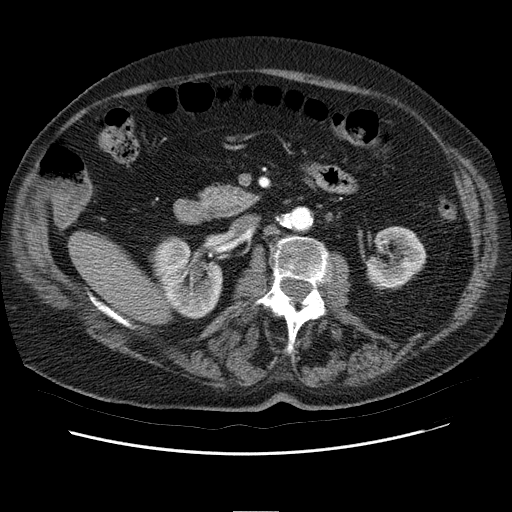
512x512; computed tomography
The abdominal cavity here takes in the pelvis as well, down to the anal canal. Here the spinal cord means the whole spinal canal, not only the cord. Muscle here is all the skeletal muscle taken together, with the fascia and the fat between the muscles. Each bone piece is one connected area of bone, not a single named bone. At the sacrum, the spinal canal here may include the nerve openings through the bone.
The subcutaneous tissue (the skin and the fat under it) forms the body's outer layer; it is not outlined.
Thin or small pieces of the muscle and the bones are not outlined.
{"bones":[{"outer":[[292,235],[308,236],[323,242],[330,253],[330,266],[324,280],[317,286],[326,313],[317,319],[306,321],[299,328],[294,351],[289,354],[285,350],[288,333],[284,317],[276,316],[261,304],[253,303],[272,285],[273,260],[270,256],[276,250],[276,242]],"hole":[[286,279],[295,279],[296,280],[299,280],[300,281],[304,281],[305,282],[309,283],[312,287],[311,290],[299,302],[299,304],[300,305],[300,307],[299,308],[297,308],[295,304],[291,301],[293,298],[291,296],[287,295],[282,289],[282,283],[284,280]]},[[88,291],[90,292],[98,300],[101,301],[114,311],[118,313],[121,316],[127,319],[133,325],[134,325],[133,326],[134,328],[133,329],[128,328],[122,324],[118,323],[113,319],[108,317],[101,311],[100,311],[89,299],[88,295],[87,294],[87,292]]],"torso":[[[234,34],[302,38],[378,60],[420,85],[483,142],[499,176],[511,231],[505,313],[487,345],[413,389],[333,410],[304,410],[282,401],[256,412],[112,403],[58,385],[24,364],[4,302],[0,238],[10,183],[30,142],[71,100],[110,71],[173,44]]],"muscle":[{"outer":[[263,67],[313,73],[324,77],[371,88],[398,97],[400,100],[405,102],[421,115],[446,143],[457,148],[464,156],[469,158],[479,173],[485,179],[491,190],[495,202],[494,208],[498,215],[498,262],[495,267],[493,278],[489,281],[489,286],[486,289],[485,294],[481,298],[483,302],[479,305],[478,310],[465,324],[460,326],[439,343],[419,355],[409,359],[385,376],[380,377],[369,385],[359,387],[311,388],[299,382],[295,383],[290,380],[273,380],[268,383],[265,383],[262,380],[248,387],[233,387],[230,389],[221,389],[203,385],[197,381],[193,381],[179,375],[166,372],[146,361],[111,350],[107,346],[91,337],[86,332],[86,328],[70,311],[66,309],[56,309],[49,304],[42,302],[42,300],[38,297],[36,290],[32,288],[29,284],[22,281],[20,274],[15,269],[13,263],[15,259],[10,250],[10,241],[12,235],[10,232],[10,226],[12,223],[17,193],[24,177],[32,169],[39,153],[52,133],[74,114],[97,100],[144,83],[166,80],[173,77],[186,77],[196,73],[205,73],[225,69]],"holes":[[[232,72],[383,98],[431,137],[476,271],[437,329],[370,331],[346,307],[350,272],[336,251],[317,286],[326,313],[299,328],[292,354],[284,317],[253,304],[271,268],[245,268],[230,305],[183,335],[118,323],[58,267],[37,177],[58,136],[110,100]],[[465,179],[469,179],[472,182],[472,184],[473,185],[473,186],[474,187],[474,190],[473,191],[471,191],[470,190],[470,189],[466,185],[466,184],[464,182],[464,181],[465,180]]]}],"spinal_cord":[[[286,279],[295,279],[296,280],[299,280],[300,281],[304,281],[305,282],[309,283],[312,287],[311,290],[299,302],[299,304],[300,305],[300,307],[299,308],[297,308],[295,304],[291,301],[293,298],[291,296],[287,295],[282,289],[282,283],[284,280]]],"abdominal_cavity":[[[232,72],[383,98],[431,137],[467,216],[474,257],[457,304],[437,329],[396,339],[370,331],[346,307],[346,259],[308,235],[280,237],[269,256],[271,268],[245,268],[230,305],[199,335],[134,324],[58,267],[37,177],[58,136],[110,100]]]}